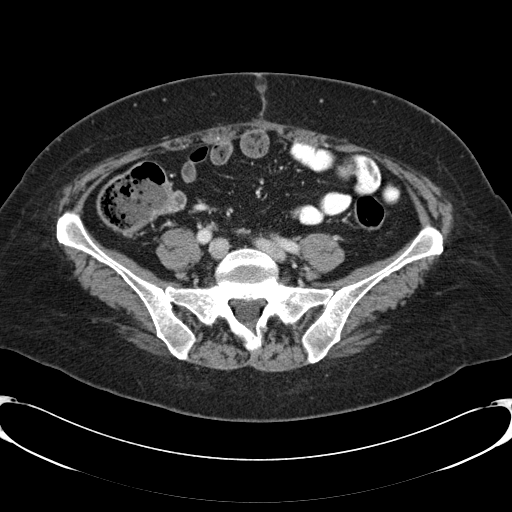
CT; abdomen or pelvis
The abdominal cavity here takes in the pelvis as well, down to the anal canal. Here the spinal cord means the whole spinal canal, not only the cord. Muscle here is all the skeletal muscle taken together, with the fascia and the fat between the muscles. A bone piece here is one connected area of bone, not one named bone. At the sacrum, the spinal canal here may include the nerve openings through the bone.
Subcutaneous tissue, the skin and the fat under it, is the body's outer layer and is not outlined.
{"muscle":[[[260,117],[272,122],[291,124],[345,138],[354,144],[399,160],[429,178],[441,188],[453,204],[455,227],[447,253],[420,288],[393,313],[390,327],[377,342],[348,357],[320,361],[341,339],[342,330],[355,305],[376,284],[407,264],[427,257],[439,256],[444,251],[441,231],[429,223],[421,227],[418,213],[404,182],[367,152],[347,152],[312,145],[264,128],[213,143],[155,152],[134,159],[106,176],[86,198],[81,217],[74,210],[65,209],[55,222],[55,238],[59,244],[81,251],[111,268],[143,303],[154,326],[155,335],[174,357],[158,356],[137,347],[118,333],[115,318],[103,303],[80,285],[53,242],[52,208],[58,192],[78,174],[115,154],[156,143],[164,138]],[[175,306],[185,308],[206,326],[223,320],[250,352],[262,346],[263,330],[267,329],[270,320],[277,319],[285,325],[292,325],[310,309],[321,306],[322,310],[300,338],[309,364],[287,371],[266,372],[251,366],[214,369],[185,361],[196,336],[176,314]],[[179,228],[189,230],[193,234],[195,238],[195,241],[197,245],[199,246],[199,248],[202,252],[202,254],[199,259],[196,261],[191,267],[186,271],[183,272],[177,272],[167,268],[162,264],[156,254],[156,248],[159,244],[163,234],[169,230],[178,229]],[[318,232],[319,233],[326,233],[327,234],[329,234],[344,251],[344,259],[343,261],[340,263],[339,265],[333,269],[322,274],[319,272],[317,272],[310,267],[308,263],[301,257],[302,249],[300,245],[300,240],[307,234],[309,234],[310,233],[317,233]],[[412,238],[413,238],[407,247],[406,247],[399,255],[386,265],[366,277],[364,277],[352,283],[343,285],[337,289],[334,289],[331,287],[315,287],[314,286],[317,283],[329,282],[333,280],[342,278],[358,267],[370,264],[378,260],[385,259],[394,254]],[[86,228],[104,247],[108,249],[116,250],[124,254],[132,259],[137,264],[143,268],[145,268],[151,271],[159,278],[163,280],[174,281],[178,283],[180,286],[178,287],[168,284],[165,287],[161,287],[137,275],[126,266],[107,254],[101,249],[94,242]]],"spinal_cord":[[[232,300],[243,300],[246,302],[250,302],[251,301],[255,301],[256,300],[264,300],[265,301],[265,306],[260,312],[259,316],[257,318],[254,325],[252,327],[248,327],[244,323],[241,322],[237,319],[235,315],[234,307],[230,304],[230,302]]],"torso":[[[236,71],[319,75],[385,90],[429,111],[463,140],[493,189],[511,209],[510,356],[468,365],[413,393],[353,411],[290,421],[244,422],[186,415],[122,397],[84,383],[61,370],[13,350],[0,348],[0,206],[32,160],[68,126],[119,97],[180,78]]],"bones":[{"outer":[[65,210],[161,288],[210,286],[243,247],[267,254],[286,285],[334,290],[386,266],[427,224],[443,251],[376,283],[318,362],[301,338],[321,305],[292,324],[270,319],[253,351],[223,319],[206,325],[175,305],[195,336],[180,360],[119,274],[58,242]],"hole":[[232,300],[243,300],[246,302],[250,302],[251,301],[255,301],[256,300],[264,300],[265,301],[265,306],[260,312],[259,316],[257,318],[254,325],[252,327],[248,327],[244,323],[241,322],[237,319],[235,315],[234,307],[230,304],[230,302]]}],"abdominal_cavity":[{"outer":[[258,129],[312,146],[367,153],[398,177],[415,208],[420,228],[391,255],[312,287],[284,283],[279,266],[267,253],[243,246],[230,250],[216,265],[214,283],[186,287],[104,246],[85,226],[82,213],[87,198],[116,169],[155,153],[213,144]],"hole":[[179,228],[189,230],[193,234],[195,238],[195,241],[197,245],[199,246],[199,248],[202,252],[202,254],[199,259],[196,261],[191,267],[186,271],[183,272],[177,272],[167,268],[162,264],[156,254],[156,248],[159,244],[163,234],[169,230],[178,229]]}]}